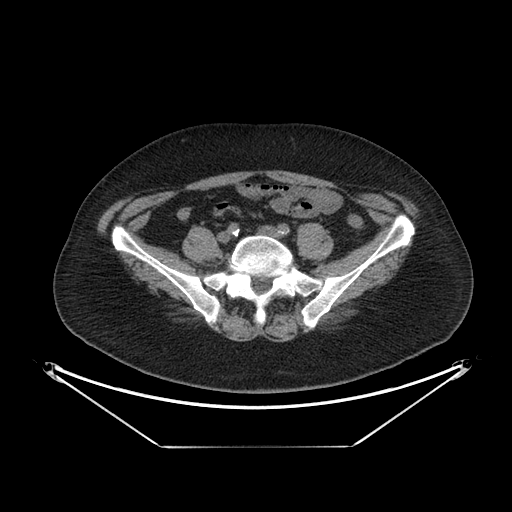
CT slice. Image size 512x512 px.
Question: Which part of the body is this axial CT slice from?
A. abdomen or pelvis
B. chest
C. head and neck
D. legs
Answer: A. abdomen or pelvis
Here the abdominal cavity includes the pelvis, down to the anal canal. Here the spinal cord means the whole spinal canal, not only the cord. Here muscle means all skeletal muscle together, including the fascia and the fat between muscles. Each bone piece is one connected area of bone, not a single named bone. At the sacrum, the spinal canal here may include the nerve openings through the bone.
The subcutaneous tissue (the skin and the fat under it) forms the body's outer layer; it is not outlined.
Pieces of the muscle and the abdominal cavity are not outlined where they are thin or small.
Outlines:
torso: [[210,122],[304,122],[331,126],[381,145],[422,174],[444,201],[472,263],[474,283],[470,306],[451,337],[399,365],[352,382],[304,391],[247,394],[201,389],[142,373],[74,335],[58,315],[52,282],[58,256],[83,199],[112,167],[138,148],[174,130]]
spinal cord: [[260,276],[263,276],[266,278],[270,278],[271,279],[271,285],[270,286],[270,287],[266,291],[265,291],[262,293],[260,293],[259,294],[258,293],[257,293],[254,290],[254,289],[252,286],[252,280],[253,279],[253,277],[259,277]]
muscle 1: [[251,170],[284,170],[395,192],[410,199],[419,209],[417,232],[410,217],[400,212],[376,248],[362,262],[343,274],[327,275],[323,279],[310,275],[319,262],[303,259],[298,253],[298,226],[317,223],[328,231],[333,247],[321,261],[325,264],[344,257],[372,240],[382,228],[346,194],[316,185],[280,181],[264,174],[251,175],[235,183],[204,190],[182,191],[154,206],[137,234],[147,244],[162,247],[186,259],[182,243],[188,232],[193,226],[206,228],[215,237],[224,258],[217,265],[192,261],[191,265],[215,272],[201,278],[170,267],[146,251],[119,223],[112,226],[109,236],[116,251],[134,256],[169,280],[209,326],[217,322],[221,304],[206,287],[215,291],[224,289],[233,299],[240,297],[251,301],[255,307],[254,321],[262,326],[266,322],[266,307],[274,297],[292,298],[297,294],[307,297],[315,294],[300,310],[302,323],[312,330],[283,342],[271,341],[260,335],[248,341],[234,341],[205,324],[173,322],[161,313],[159,304],[150,294],[131,278],[110,242],[97,233],[99,218],[114,202],[139,190]]
muscle 2: [[415,234],[410,250],[405,256],[405,259],[403,263],[395,275],[387,283],[378,287],[372,293],[368,300],[360,309],[359,313],[345,327],[332,331],[314,329],[321,317],[331,309],[336,300],[365,269],[388,253],[396,249],[408,246],[411,242],[412,237]]
abdominal cavity: [[255,175],[340,192],[381,228],[325,263],[334,247],[329,231],[301,223],[297,253],[318,262],[309,274],[284,243],[262,233],[240,238],[218,271],[197,268],[192,262],[217,266],[225,258],[214,234],[193,225],[182,258],[138,234],[151,210],[182,192]]
bones: [[400,213],[415,227],[409,244],[365,268],[313,329],[301,310],[315,292],[274,296],[262,325],[251,300],[206,286],[220,304],[209,325],[110,236],[119,224],[165,265],[202,279],[227,269],[240,239],[267,235],[298,270],[323,280],[362,263]]; inner edge: [[260,276],[263,276],[266,278],[270,278],[271,279],[271,285],[270,286],[270,287],[266,291],[265,291],[262,293],[260,293],[259,294],[258,293],[257,293],[254,290],[254,289],[252,286],[252,280],[253,279],[253,277],[259,277]]